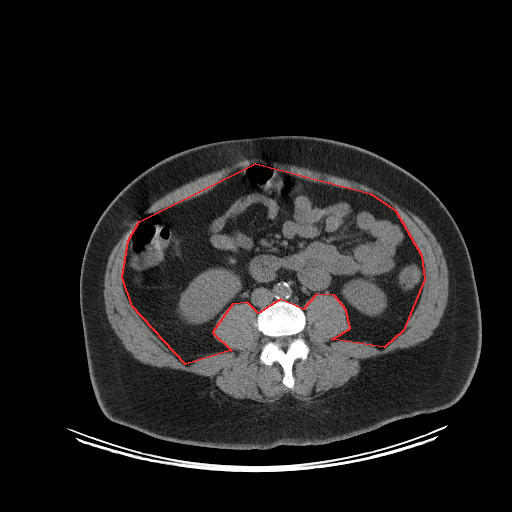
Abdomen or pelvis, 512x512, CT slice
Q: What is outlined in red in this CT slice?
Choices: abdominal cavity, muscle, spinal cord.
A: red: abdominal cavity.
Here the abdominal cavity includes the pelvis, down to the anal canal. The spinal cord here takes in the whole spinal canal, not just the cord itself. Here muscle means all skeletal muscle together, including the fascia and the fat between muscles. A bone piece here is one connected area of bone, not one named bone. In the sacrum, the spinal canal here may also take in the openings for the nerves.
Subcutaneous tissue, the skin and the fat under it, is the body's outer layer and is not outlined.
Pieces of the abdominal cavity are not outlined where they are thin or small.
abdominal cavity: 255 163; 370 193; 395 210; 421 255; 424 279; 403 330; 384 347; 332 339; 350 328; 346 310; 334 295; 316 294; 303 309; 280 299; 258 313; 247 302; 232 304; 212 332; 231 350; 185 364; 132 306; 122 277; 128 240; 139 221
torso: 266 135; 324 137; 372 151; 417 177; 449 211; 470 255; 482 326; 477 367; 466 391; 453 405; 326 444; 278 445; 269 449; 220 449; 176 443; 116 423; 104 415; 89 377; 79 304; 82 258; 97 220; 130 181; 158 161; 205 143
muscle: 244 158; 245 159; 260 158; 272 162; 273 161; 278 163; 291 164; 306 167; 314 170; 318 170; 321 172; 325 172; 340 177; 344 177; 347 179; 354 180; 381 192; 401 207; 411 211; 418 216; 430 229; 436 238; 436 240; 439 243; 442 249; 442 252; 444 255; 448 270; 447 303; 443 315; 440 319; 439 324; 433 331; 432 335; 414 346; 411 346; 407 348; 398 348; 391 352; 373 357; 369 357; 362 360; 361 361; 361 369; 359 373; 352 377; 337 394; 317 402; 315 401; 309 401; 308 402; 297 399; 290 394; 285 394; 278 400; 271 403; 266 404; 244 404; 231 400; 219 392; 208 376; 199 375; 192 372; 176 370; 167 367; 162 367; 161 368; 155 367; 144 364; 137 360; 125 348; 121 340; 114 332; 107 318; 107 315; 105 311; 105 304; 103 297; 104 275; 108 257; 112 249; 123 233; 130 226; 132 221; 142 211; 144 211; 152 203; 166 193; 172 191; 174 189; 192 181; 198 177; 230 166, around a hole outlined by 255 163; 379 197; 424 268; 417 305; 382 348; 332 339; 350 328; 334 295; 306 300; 309 352; 293 363; 291 389; 277 361; 260 360; 266 338; 249 303; 232 304; 215 322; 213 337; 231 350; 185 364; 123 286; 128 240; 144 216
bones: 277 300; 288 301; 298 305; 306 317; 301 336; 308 346; 309 352; 304 360; 298 358; 293 363; 294 384; 291 389; 282 382; 284 376; 282 366; 277 361; 271 365; 266 365; 261 362; 259 357; 266 338; 255 325; 257 315; 263 308; inner edge: 283 336; 288 336; 289 337; 291 337; 291 341; 290 342; 290 343; 288 345; 288 346; 285 349; 283 349; 282 348; 281 348; 280 347; 279 347; 279 346; 276 343; 276 341; 275 340; 275 339; 277 337; 282 337
spinal cord: 283 336; 288 336; 289 337; 291 337; 291 341; 290 342; 290 343; 288 345; 288 346; 285 349; 283 349; 282 348; 281 348; 280 347; 279 347; 279 346; 276 343; 276 341; 275 340; 275 339; 277 337; 282 337